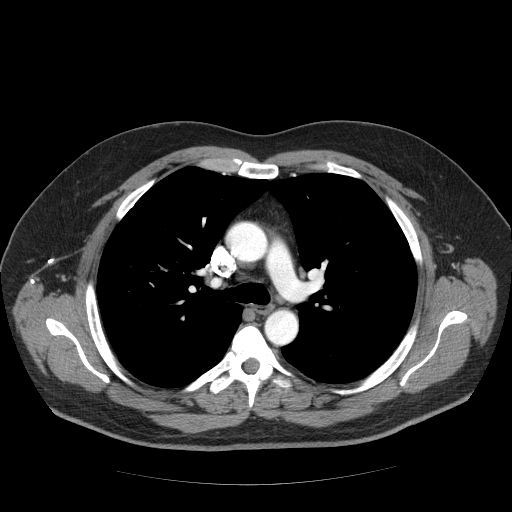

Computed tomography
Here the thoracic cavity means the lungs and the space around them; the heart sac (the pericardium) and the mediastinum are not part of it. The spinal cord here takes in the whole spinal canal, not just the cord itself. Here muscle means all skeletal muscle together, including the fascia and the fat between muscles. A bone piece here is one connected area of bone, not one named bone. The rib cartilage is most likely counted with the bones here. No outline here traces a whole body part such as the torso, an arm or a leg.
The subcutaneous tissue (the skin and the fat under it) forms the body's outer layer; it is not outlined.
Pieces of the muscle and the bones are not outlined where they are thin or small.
The bones appear in 9 outlined pieces: piece 1: 246,324 253,324 259,329 279,360 306,385 293,380 291,387 285,389 273,383 269,378 258,388 251,408 248,407 246,386 238,380 233,381 215,394 209,390 207,383 197,390 181,392 185,386 223,358 237,330; inner edge: 250,358 253,358 254,359 255,359 258,362 258,363 259,364 259,365 258,366 258,368 257,369 257,370 254,373 247,373 243,369 243,363 244,362 245,362 248,359 249,359; piece 2: 90,280 92,280 94,283 96,301 100,321 109,346 118,361 128,372 127,375 139,387 143,389 143,391 138,390 130,386 118,377 104,361 94,343 90,333 90,328 87,319 86,307 85,306 85,290 87,283; piece 3: 417,316 419,317 419,322 418,323 415,339 406,356 393,372 379,383 359,392 341,395 333,393 330,391 330,389 333,387 341,388 342,387 353,387 355,386 357,383 356,382 368,376 385,362 399,345 410,324; piece 4: 234,157 237,157 242,160 246,160 251,162 274,163 279,168 279,174 275,178 272,179 257,179 256,178 249,178 244,176 240,176 229,171 220,171 219,172 199,167 195,164 198,161 205,158 228,158 230,159; piece 5: 385,195 387,195 393,199 408,215 416,232 417,238 419,242 419,246 420,247 421,256 422,257 422,265 421,266 417,266 415,262 415,260 412,255 412,253 410,250 408,242 398,222 396,220 392,212 385,202; piece 6: 452,310 459,310 464,312 467,315 467,318 461,323 453,323 443,329 440,335 438,345 434,353 427,361 410,374 406,381 405,386 400,386 399,383 404,374 410,368 418,363 431,350 435,343 440,323 445,315; piece 7: 49,317 53,318 58,321 60,321 75,336 79,342 88,362 97,371 106,374 108,376 110,380 108,383 102,380 98,376 90,371 84,365 78,354 75,344 70,338 64,335 52,335 50,333 45,323 46,319; piece 8: 152,178 155,178 156,179 156,181 137,200 137,201 133,205 133,206 125,214 125,215 119,221 117,222 116,221 116,212 121,202 130,192 134,190 137,187 140,186 142,184 150,180; piece 9: 327,159 335,161 341,165 347,167 350,167 354,169 362,176 362,179 348,176 347,175 342,175 337,173 332,173 326,171 317,171 316,170 312,170 310,169 308,167 309,165 316,162 322,162. The muscle is outlined by 199,145 215,145 241,149 260,161 268,156 283,151 298,149 332,149 372,163 417,192 430,202 428,226 430,241 435,252 437,270 443,271 457,259 475,255 490,267 496,278 496,318 487,340 466,364 447,379 434,383 417,393 370,414 326,427 281,423 274,419 256,416 254,412 251,412 250,416 238,425 216,428 198,433 189,433 158,425 138,412 99,400 71,385 61,383 45,376 37,368 13,328 11,310 21,286 30,274 37,271 65,288 67,293 74,283 82,248 90,238 100,219 99,216 88,214 85,211 96,200 118,187 133,173 150,162 175,150 with holes at 234,157 274,163 280,175 311,172 309,165 332,160 357,171 384,202 389,196 408,215 422,257 410,320 418,316 419,322 406,356 379,383 341,395 330,389 355,381 323,383 286,364 306,385 293,380 285,389 269,378 249,408 238,380 215,394 207,383 181,392 128,372 141,391 102,358 85,290 90,280 96,286 121,202 152,178 158,182 205,158 and at 452,310 459,310 464,312 467,315 467,318 461,323 453,323 443,329 440,335 438,345 434,353 427,361 410,374 406,381 405,386 400,386 399,383 404,374 410,368 418,363 431,350 435,343 440,323 445,315 and at 49,317 53,318 58,321 60,321 75,336 79,342 88,362 97,371 106,374 108,376 110,380 108,383 102,380 98,376 90,371 84,365 78,354 75,344 70,338 64,335 52,335 50,333 45,323 46,319. The thoracic cavity is outlined by 189,165 257,180 292,171 363,180 391,212 417,270 410,323 387,359 339,384 280,360 298,335 298,305 311,286 290,216 266,189 230,220 210,256 242,308 222,358 183,387 132,375 102,325 100,260 138,200. The spinal cord is outlined by 250,358 253,358 254,359 255,359 258,362 258,363 259,364 259,365 258,366 258,368 257,369 257,370 254,373 247,373 243,369 243,363 244,362 245,362 248,359 249,359. The mediastinum is outlined by 266,190 283,206 289,216 299,260 309,278 310,286 307,299 297,305 299,322 297,335 290,343 281,347 280,355 270,347 255,324 246,323 239,327 243,308 224,289 222,282 218,280 210,265 214,248 228,224.